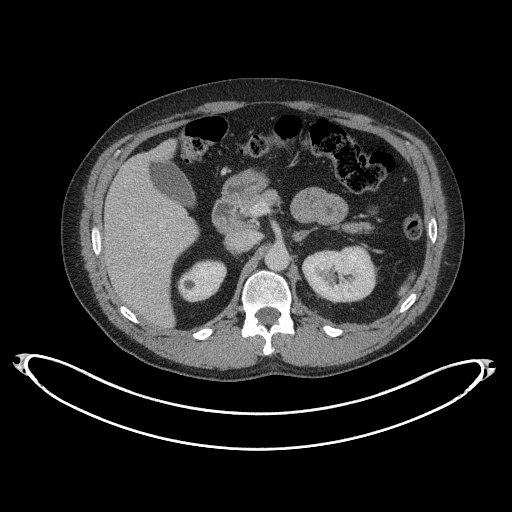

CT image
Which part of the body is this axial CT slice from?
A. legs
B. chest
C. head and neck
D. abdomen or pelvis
D. abdomen or pelvis
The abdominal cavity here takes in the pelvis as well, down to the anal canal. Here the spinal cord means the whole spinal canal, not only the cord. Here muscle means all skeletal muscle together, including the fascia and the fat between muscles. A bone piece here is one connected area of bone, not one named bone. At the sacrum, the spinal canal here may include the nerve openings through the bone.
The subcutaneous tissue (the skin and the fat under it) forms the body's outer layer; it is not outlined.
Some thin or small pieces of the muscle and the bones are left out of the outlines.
Outlines (x, y in pixels):
abdominal cavity: [[169,330],[211,320],[233,296],[240,299],[245,279],[262,268],[281,274],[304,305],[334,322],[368,323],[387,314],[413,287],[425,252],[423,204],[411,163],[377,135],[278,104],[203,116],[142,142],[116,169],[104,193],[103,254],[122,304],[146,323]]
torso: [[213,381],[273,374],[319,378],[353,370],[396,352],[435,316],[459,270],[464,212],[459,186],[444,152],[411,115],[377,97],[333,84],[286,77],[228,78],[137,105],[115,120],[86,153],[67,187],[60,219],[62,260],[75,296],[122,350],[154,367]]
muscle: [[219,370],[251,366],[265,356],[261,336],[243,338],[240,334],[244,313],[237,297],[214,319],[190,330],[161,330],[139,319],[135,324],[118,309],[121,303],[107,279],[102,254],[101,205],[107,183],[119,164],[150,136],[203,115],[258,103],[310,111],[377,134],[411,162],[420,182],[427,234],[422,271],[410,291],[417,294],[415,302],[399,313],[407,294],[391,312],[368,324],[334,323],[309,310],[293,294],[295,333],[277,333],[272,338],[276,358],[298,366],[324,367],[355,360],[380,348],[413,322],[433,296],[447,238],[447,211],[435,162],[422,140],[366,115],[310,101],[215,101],[156,120],[104,150],[86,184],[80,226],[81,254],[99,305],[116,327],[160,356]], around holes outlined by [[96,255],[99,255],[99,254],[100,253],[100,251],[101,250],[101,235],[100,234],[100,228],[98,226],[96,226],[95,225],[94,225],[92,227],[92,229],[91,230],[91,241],[92,242],[92,249],[93,250],[93,251],[94,252],[94,253]] and by [[432,243],[434,243],[436,241],[436,238],[437,237],[437,224],[436,223],[436,221],[435,220],[435,218],[433,216],[431,216],[429,218],[429,220],[427,223],[427,231],[428,232],[428,236],[429,237],[429,238],[430,239],[430,240]] and by [[196,339],[205,339],[206,338],[207,338],[212,333],[212,332],[213,331],[213,330],[211,328],[210,328],[209,327],[204,327],[203,328],[201,328],[200,329],[199,329],[197,331],[195,331],[192,334],[192,336],[194,338],[195,338]] and by [[332,337],[334,337],[335,336],[337,336],[338,335],[340,335],[343,332],[343,330],[340,328],[337,328],[336,327],[333,327],[330,325],[323,325],[322,326],[322,329],[324,331],[324,332],[327,335],[328,335],[329,336],[331,336]]
bones 1: [[264,355],[269,355],[274,351],[271,344],[271,338],[275,333],[294,333],[294,322],[290,315],[291,293],[286,280],[277,273],[262,269],[251,274],[243,285],[241,301],[245,316],[241,328],[241,334],[243,337],[256,334],[261,335],[265,340],[263,347]] with a hole at [[265,325],[270,325],[271,324],[276,322],[276,320],[279,316],[279,312],[276,309],[275,309],[274,308],[272,308],[271,307],[265,307],[264,308],[262,308],[261,309],[260,309],[256,313],[256,316],[259,320],[259,321],[261,323],[262,323]]
bones 2: [[96,255],[99,255],[99,254],[100,253],[100,251],[101,250],[101,235],[100,234],[100,228],[98,226],[96,226],[95,225],[94,225],[92,227],[92,229],[91,230],[91,241],[92,242],[92,249],[93,250],[93,251],[94,252],[94,253]]
bones 3: [[432,243],[434,243],[436,241],[436,238],[437,237],[437,224],[436,223],[436,221],[435,220],[435,218],[433,216],[431,216],[429,218],[429,220],[427,223],[427,231],[428,232],[428,236],[429,237],[429,238],[430,239],[430,240]]
bones 4: [[399,312],[404,312],[406,310],[407,310],[410,307],[410,306],[414,302],[414,301],[416,299],[416,294],[414,292],[411,292],[409,294],[409,295],[404,300],[404,301],[401,304],[401,305],[400,306],[400,307],[399,308],[399,310],[398,311]]
bones 5: [[196,339],[205,339],[206,338],[207,338],[212,333],[212,332],[213,331],[213,330],[211,328],[210,328],[209,327],[204,327],[203,328],[201,328],[200,329],[199,329],[197,331],[195,331],[192,334],[192,336],[194,338],[195,338]]
bones 6: [[332,337],[334,337],[335,336],[337,336],[338,335],[340,335],[343,332],[343,330],[340,328],[337,328],[336,327],[333,327],[330,325],[323,325],[322,326],[322,329],[324,331],[324,332],[327,335],[328,335],[329,336],[331,336]]
bones 7: [[135,323],[139,323],[139,321],[138,320],[138,319],[136,317],[136,316],[128,308],[127,308],[124,305],[120,305],[120,306],[119,307],[119,309],[120,310],[120,311],[121,312],[121,313],[125,317],[126,317],[129,320],[130,320],[131,321],[132,321]]
spinal cord: [[265,325],[270,325],[271,324],[276,322],[276,320],[279,316],[279,312],[276,309],[275,309],[274,308],[272,308],[271,307],[265,307],[264,308],[262,308],[261,309],[260,309],[256,313],[256,316],[259,320],[259,321],[261,323],[262,323]]